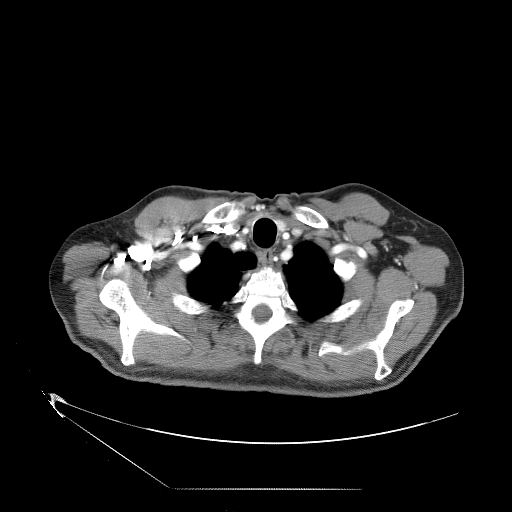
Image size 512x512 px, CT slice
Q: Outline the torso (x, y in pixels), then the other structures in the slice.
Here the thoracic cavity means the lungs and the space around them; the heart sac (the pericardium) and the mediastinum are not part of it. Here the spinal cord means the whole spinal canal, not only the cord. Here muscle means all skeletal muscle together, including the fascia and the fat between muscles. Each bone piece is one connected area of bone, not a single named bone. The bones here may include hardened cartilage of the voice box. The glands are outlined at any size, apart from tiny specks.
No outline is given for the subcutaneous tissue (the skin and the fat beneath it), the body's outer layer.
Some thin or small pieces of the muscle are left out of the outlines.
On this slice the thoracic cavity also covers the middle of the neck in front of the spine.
A: The torso is outlined by 346,182 372,186 437,223 450,235 462,258 464,296 461,308 399,384 371,394 341,398 164,386 116,376 70,341 50,297 48,271 61,244 76,228 115,215 150,191 171,184 249,191 271,198 276,193 318,191. The muscle is outlined by 350,192 374,197 408,234 449,259 434,324 390,379 381,380 393,372 384,350 414,306 410,297 389,305 373,338 347,349 328,340 319,344 319,357 372,351 374,380 325,384 260,364 266,340 297,325 297,314 335,323 359,309 360,297 341,301 343,283 358,264 338,256 331,262 301,227 266,209 235,220 245,213 236,199 202,217 202,224 233,221 200,256 193,251 176,261 187,275 188,293 172,291 170,299 188,315 235,305 232,317 253,340 252,363 226,373 127,369 74,323 62,278 64,253 75,244 120,240 158,197 253,196 270,204 280,197 337,201, around holes outlined by 113,278 119,278 127,284 136,303 153,321 172,328 189,342 173,335 161,335 141,331 133,342 132,354 135,363 128,366 124,365 120,360 122,353 119,333 120,318 114,310 106,307 99,299 102,287 107,281 and by 296,205 305,205 306,206 307,206 308,207 317,211 319,213 320,213 327,220 327,222 328,223 328,226 326,228 317,228 316,227 313,227 310,225 308,225 307,224 306,224 305,223 296,219 292,215 292,208. The thoracic cavity is outlined by 253,213 245,220 247,226 263,216 270,218 280,233 287,223 298,226 304,237 326,253 342,283 340,304 316,319 303,318 284,273 269,265 245,271 238,289 219,308 189,294 188,274 201,263 206,247 234,220. The thyroid glands are outlined by 263,210 266,210 279,219 282,219 287,225 286,229 284,231 280,232 277,227 276,223 274,222 274,221 267,215 263,215 256,219 251,225 247,225 246,224 246,220 248,219 251,219 259,212. The spinal cord is outlined by 261,304 263,304 264,305 267,306 270,309 270,310 271,311 271,315 265,321 264,321 263,322 257,322 255,320 255,319 254,318 254,317 252,314 252,311 253,310 253,309 256,306 257,306 258,305 260,305. The bones appear in 9 outlined pieces: piece 1: 263,266 269,266 283,273 289,295 298,310 295,315 297,324 286,324 265,340 261,351 261,361 256,365 252,361 255,350 254,340 233,317 233,311 237,306 222,303 228,301 239,289 243,283 242,276 245,272; inner edge: 261,304 263,304 264,305 267,306 270,309 270,310 271,311 271,315 265,321 264,321 263,322 257,322 255,320 255,319 254,318 254,317 252,314 252,311 253,310 253,309 256,306 257,306 258,305 260,305; piece 2: 113,278 119,278 127,284 136,303 153,321 172,328 189,342 173,335 161,335 141,331 133,342 132,354 135,363 128,366 124,365 120,360 122,353 119,333 120,318 114,310 106,307 99,299 102,287 107,281; piece 3: 406,298 413,300 413,306 396,322 383,350 384,360 392,369 385,378 380,380 374,378 377,362 374,352 370,349 349,355 327,352 319,356 318,351 323,341 339,344 347,350 373,339 384,326 390,305 397,299; piece 4: 232,200 236,200 237,201 240,201 242,202 244,206 244,213 243,214 235,219 232,219 228,221 222,221 221,222 215,222 214,223 202,223 201,222 205,214 210,209 221,203 223,203 226,201 231,201; piece 5: 172,292 177,292 181,294 188,294 192,298 198,301 204,302 208,304 210,306 210,307 206,312 203,312 202,313 199,313 198,314 188,314 185,312 183,312 179,310 174,306 172,302 172,300 171,299 171,294; piece 6: 296,205 305,205 306,206 307,206 308,207 317,211 319,213 320,213 327,220 327,222 328,223 328,226 326,228 317,228 316,227 313,227 310,225 308,225 307,224 306,224 305,223 296,219 292,215 292,208; piece 7: 357,298 360,298 362,300 362,303 358,309 353,314 352,314 346,319 342,320 341,321 336,321 335,322 324,322 323,321 320,321 319,320 321,317 326,314 328,314 342,303 345,303 350,300 356,299; piece 8: 336,257 338,257 339,258 344,259 347,261 348,261 349,260 352,260 357,264 357,268 356,269 356,271 355,272 355,273 347,281 346,281 345,282 342,282 339,278 339,277 334,272 334,271 333,270 333,262; piece 9: 193,252 196,252 199,255 199,256 200,257 200,263 193,270 192,270 189,273 188,273 187,274 186,273 185,273 179,267 179,266 177,263 177,261 181,258 184,258 185,257 188,256 191,253 192,253.